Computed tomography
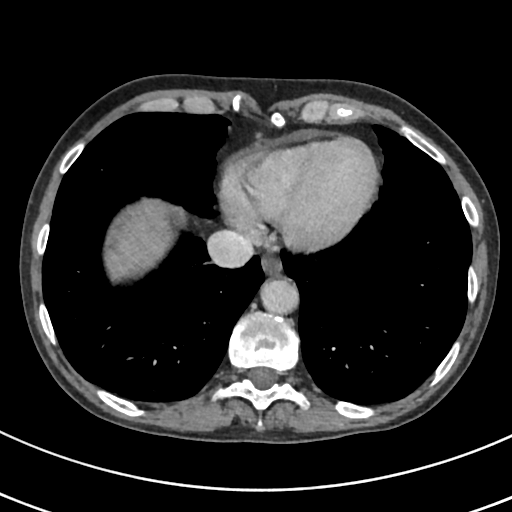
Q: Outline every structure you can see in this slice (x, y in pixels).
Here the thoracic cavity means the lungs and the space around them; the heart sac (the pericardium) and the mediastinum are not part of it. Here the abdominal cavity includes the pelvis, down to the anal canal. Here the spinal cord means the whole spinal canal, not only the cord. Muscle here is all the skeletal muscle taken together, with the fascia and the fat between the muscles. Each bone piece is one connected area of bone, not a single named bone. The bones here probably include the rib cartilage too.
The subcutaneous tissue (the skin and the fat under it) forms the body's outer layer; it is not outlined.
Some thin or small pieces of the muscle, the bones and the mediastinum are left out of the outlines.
A: Outlines:
mediastinum 1: (215, 204) (227, 229) (284, 247) (296, 255) (283, 249) (280, 251) (280, 257) (299, 292) (297, 331) (279, 315) (258, 310) (241, 316) (264, 279) (259, 256) (253, 255) (241, 267) (221, 267) (211, 261) (203, 238) (189, 233) (185, 220) (184, 209) (199, 218) (213, 218) (217, 214)
mediastinum 2: (230, 111) (277, 129) (284, 127) (288, 121) (296, 124) (343, 124) (357, 121) (372, 123) (383, 154) (381, 171) (380, 163) (364, 142) (347, 133) (308, 128) (267, 136) (231, 153) (217, 166) (214, 177) (216, 153) (225, 140) (227, 127) (230, 124) (230, 121) (221, 115)
torso: (174, 72) (370, 83) (412, 103) (464, 151) (484, 181) (497, 215) (497, 288) (475, 356) (455, 386) (429, 411) (392, 429) (327, 440) (207, 442) (149, 434) (108, 422) (88, 412) (57, 384) (33, 343) (20, 293) (19, 246) (31, 188) (58, 138) (92, 102) (131, 79)
pericardium: (308, 129) (328, 130) (347, 134) (364, 143) (379, 163) (380, 179) (376, 195) (356, 225) (337, 244) (309, 255) (292, 253) (284, 246) (281, 247) (271, 242) (256, 242) (227, 228) (216, 208) (216, 197) (213, 191) (214, 178) (216, 177) (218, 166) (231, 154) (267, 137)
thoracic cavity 1: (134, 112) (229, 121) (215, 153) (216, 214) (199, 217) (158, 196) (125, 203) (100, 247) (109, 285) (142, 281) (184, 233) (202, 238) (213, 264) (237, 269) (258, 256) (263, 273) (216, 371) (194, 395) (169, 402) (132, 401) (86, 379) (43, 296) (62, 179) (100, 132)
thoracic cavity 2: (374, 124) (397, 132) (441, 166) (459, 198) (469, 226) (471, 259) (461, 329) (432, 374) (401, 398) (367, 405) (325, 393) (317, 387) (304, 365) (298, 333) (300, 292) (296, 280) (284, 269) (281, 251) (293, 256) (309, 256) (331, 248) (371, 209) (378, 199) (384, 163)
spinal cord: (255, 367) (267, 367) (268, 368) (271, 368) (275, 370) (277, 374) (279, 376) (279, 380) (277, 382) (275, 382) (270, 387) (266, 389) (259, 389) (257, 388) (246, 376) (247, 375) (247, 371) (249, 369) (251, 368) (254, 368)
bones 1: (258, 311) (283, 318) (299, 336) (300, 359) (287, 372) (286, 377) (308, 399) (310, 405) (306, 410) (287, 399) (276, 399) (261, 411) (241, 396) (211, 401) (212, 394) (218, 388) (233, 381) (237, 375) (237, 370) (227, 357) (229, 339) (235, 324) (242, 316); inner edge: (255, 367) (267, 367) (268, 368) (271, 368) (275, 370) (277, 374) (279, 376) (279, 380) (277, 382) (275, 382) (270, 387) (266, 389) (259, 389) (257, 388) (246, 376) (247, 375) (247, 371) (249, 369) (251, 368) (254, 368)
bones 2: (315, 100) (326, 100) (330, 104) (332, 103) (346, 104) (347, 106) (350, 107) (359, 108) (363, 110) (366, 114) (365, 116) (356, 120) (339, 119) (338, 120) (330, 120) (329, 121) (323, 120) (318, 123) (305, 122) (300, 120) (298, 118) (301, 109) (306, 103)
bones 3: (187, 96) (203, 96) (210, 99) (219, 110) (223, 111) (221, 114) (192, 113) (184, 110) (181, 107) (179, 108) (178, 111) (173, 112) (168, 111) (148, 111) (147, 112) (136, 111) (137, 108) (144, 102) (155, 102) (159, 101) (163, 98) (172, 98) (181, 101)
bones 4: (402, 123) (406, 123) (411, 126) (422, 137) (423, 137) (429, 143) (430, 143) (434, 147) (435, 147) (442, 154) (447, 162) (445, 164) (441, 165) (423, 151) (422, 151) (418, 147) (414, 145) (405, 137) (399, 134) (398, 133) (398, 129) (399, 128) (399, 126)
bones 5: (98, 388) (101, 388) (119, 397) (121, 397) (122, 398) (127, 399) (133, 402) (137, 406) (143, 409) (145, 411) (145, 414) (144, 415) (140, 415) (139, 416) (131, 416) (130, 415) (125, 414) (113, 408) (111, 406) (105, 403) (97, 395) (96, 393) (96, 390)
bones 6: (337, 400) (341, 400) (342, 401) (348, 401) (349, 402) (351, 402) (355, 404) (359, 404) (360, 405) (366, 405) (367, 406) (370, 406) (375, 410) (375, 414) (371, 416) (369, 416) (366, 418) (350, 418) (349, 417) (344, 416) (340, 414) (334, 408) (334, 405) (337, 401)
bones 7: (456, 339) (458, 339) (460, 341) (460, 348) (459, 349) (458, 354) (454, 362) (452, 364) (448, 371) (438, 382) (437, 382) (433, 386) (429, 386) (429, 383) (431, 380) (431, 378) (432, 377) (432, 375) (434, 371) (436, 369) (438, 365) (445, 357)
bones 8: (41, 301) (43, 301) (44, 302) (45, 306) (47, 309) (47, 311) (48, 312) (48, 314) (49, 315) (49, 317) (50, 318) (50, 320) (58, 342) (58, 344) (57, 345) (53, 345) (51, 343) (43, 329) (43, 327) (39, 317) (39, 310) (38, 309) (39, 303)
bones 9: (78, 141) (84, 141) (86, 144) (84, 148) (82, 150) (81, 153) (77, 157) (77, 158) (74, 161) (74, 162) (63, 175) (59, 172) (59, 167) (60, 166) (60, 164) (64, 156) (66, 154) (66, 153) (72, 147) (72, 146) (73, 146)
bones 10: (462, 195) (467, 195) (473, 202) (475, 206) (475, 208) (477, 211) (477, 214) (478, 215) (478, 219) (479, 220) (479, 224) (477, 227) (473, 227) (472, 226) (470, 226) (468, 224) (466, 220) (466, 218) (464, 215) (464, 213) (461, 206) (461, 202) (460, 201) (460, 198)
bones 11: (471, 263) (473, 265) (474, 270) (477, 276) (477, 280) (478, 281) (478, 289) (477, 290) (477, 294) (476, 295) (475, 300) (472, 304) (470, 303) (468, 303) (468, 301) (467, 300) (467, 276) (468, 275) (468, 268) (469, 267) (469, 265)
bones 12: (45, 222) (48, 222) (49, 223) (49, 233) (48, 234) (48, 238) (47, 239) (47, 243) (46, 244) (46, 247) (45, 248) (45, 251) (43, 254) (43, 256) (40, 256) (38, 254) (38, 253) (37, 252) (37, 236) (38, 235) (38, 232) (39, 231) (41, 226)
bones 13: (275, 111) (278, 111) (279, 112) (280, 112) (284, 116) (284, 117) (286, 120) (286, 122) (285, 123) (284, 126) (283, 126) (281, 128) (277, 128) (276, 127) (273, 126) (270, 123) (270, 116) (271, 115) (271, 114) (273, 112) (274, 112)
muscle: (180, 88) (202, 89) (218, 92) (240, 91) (247, 93) (260, 102) (272, 102) (281, 99) (292, 99) (308, 94) (320, 92) (340, 94) (356, 98) (365, 102) (380, 105) (392, 110) (407, 122) (432, 139) (456, 163) (461, 173) (470, 184) (480, 201) (483, 211) (484, 218) (483, 237) (485, 240) (487, 249) (487, 267) (488, 268) (487, 286) (486, 287) (487, 296) (483, 309) (481, 321) (467, 353) (451, 376) (427, 400) (410, 411) (408, 411) (385, 423) (380, 423) (370, 426) (342, 429) (336, 431) (317, 431) (304, 433) (303, 432) (296, 432) (291, 428) (284, 428) (282, 430) (267, 429) (263, 431) (254, 431) (250, 427) (243, 426) (239, 427) (226, 426) (212, 431) (180, 431) (169, 428) (164, 428) (157, 425) (146, 424) (140, 422) (133, 422) (117, 417) (104, 411) (88, 400) (79, 392) (55, 366) (45, 349) (36, 327) (33, 315) (33, 301) (30, 280) (30, 260) (31, 259) (31, 242) (30, 240) (31, 234) (34, 222) (39, 212) (40, 203) (50, 181) (53, 170) (57, 162) (67, 149) (96, 122) (117, 106) (137, 95) (148, 91) (162, 89) (179, 89), around holes outlined by (237, 94) (238, 113) (264, 126) (272, 125) (275, 111) (287, 122) (308, 124) (298, 118) (302, 107) (326, 100) (363, 110) (365, 116) (357, 121) (396, 132) (406, 123) (445, 158) (441, 167) (457, 196) (467, 195) (477, 211) (479, 224) (469, 231) (478, 289) (456, 338) (458, 354) (433, 386) (430, 375) (401, 398) (371, 404) (375, 414) (350, 418) (334, 408) (337, 400) (317, 387) (300, 359) (286, 377) (309, 407) (276, 399) (259, 411) (241, 396) (211, 401) (237, 375) (226, 353) (194, 395) (134, 401) (145, 414) (131, 416) (105, 403) (96, 393) (100, 387) (75, 369) (59, 344) (51, 343) (39, 317) (44, 297) (37, 236) (51, 222) (66, 153) (78, 141) (87, 145) (144, 102) (203, 96) (224, 113) (233, 111) and by (259, 417) (260, 417) (261, 418) (261, 419) (262, 420) (262, 426) (263, 427) (262, 428) (262, 429) (261, 430) (257, 430) (256, 429) (256, 425) (257, 424) (257, 421) (258, 420) (258, 419) (259, 418)
abdominal cavity: (140, 196) (158, 197) (181, 206) (184, 211) (184, 220) (188, 232) (184, 232) (181, 234) (178, 242) (157, 269) (152, 271) (142, 280) (138, 281) (129, 287) (113, 287) (110, 285) (105, 276) (101, 262) (100, 254) (104, 234) (110, 220) (116, 212) (125, 204) (132, 202)